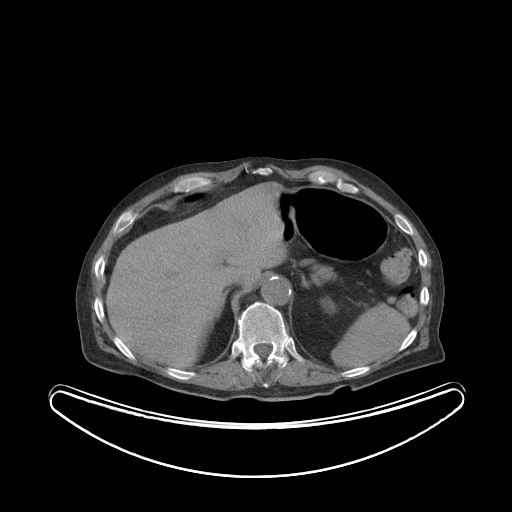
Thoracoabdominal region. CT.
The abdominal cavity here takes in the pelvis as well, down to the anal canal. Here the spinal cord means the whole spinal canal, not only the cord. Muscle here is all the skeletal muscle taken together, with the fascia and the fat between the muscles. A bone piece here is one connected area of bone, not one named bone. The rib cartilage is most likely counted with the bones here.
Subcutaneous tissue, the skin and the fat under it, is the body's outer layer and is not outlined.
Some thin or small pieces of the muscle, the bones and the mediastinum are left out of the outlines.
Outlined structures:
mediastinum: (270, 276) (280, 277) (285, 280) (290, 285) (291, 288) (291, 298) (287, 309) (287, 325) (286, 326) (285, 319) (282, 312) (267, 302) (261, 300) (255, 300) (242, 310) (241, 309) (242, 308) (240, 305) (240, 300) (242, 298) (242, 296) (257, 288) (266, 278) (269, 278)
abdominal cavity: (244, 171) (276, 173) (364, 195) (411, 238) (421, 276) (419, 313) (398, 347) (369, 365) (344, 370) (305, 357) (287, 329) (292, 288) (278, 275) (266, 277) (241, 296) (230, 350) (206, 367) (159, 365) (135, 355) (114, 334) (102, 300) (114, 242) (151, 204) (228, 183)
torso: (246, 156) (344, 160) (380, 177) (411, 207) (434, 240) (442, 261) (442, 362) (356, 390) (342, 387) (331, 394) (305, 399) (262, 401) (216, 400) (176, 392) (100, 368) (84, 358) (76, 319) (76, 283) (84, 255) (113, 207) (140, 183) (171, 167)
muscle 1: (116, 219) (112, 233) (121, 234) (113, 242) (107, 259) (101, 254) (93, 265) (94, 276) (97, 279) (104, 278) (104, 281) (101, 299) (95, 296) (92, 307) (99, 322) (102, 323) (106, 320) (114, 335) (112, 342) (127, 358) (134, 361) (137, 356) (163, 366) (165, 367) (164, 371) (170, 377) (185, 381) (197, 374) (194, 370) (211, 366) (225, 359) (229, 353) (232, 359) (240, 355) (240, 364) (247, 372) (251, 370) (253, 365) (258, 368) (266, 368) (273, 362) (284, 368) (290, 357) (302, 362) (303, 356) (327, 368) (341, 371) (340, 374) (348, 379) (306, 386) (277, 385) (269, 387) (269, 384) (264, 382) (263, 387) (222, 390) (180, 382) (139, 367) (102, 350) (95, 339) (91, 321) (89, 303) (90, 269) (94, 254)
muscle 2: (244, 162) (251, 162) (253, 164) (271, 163) (284, 169) (302, 169) (313, 165) (325, 165) (340, 169) (371, 188) (397, 207) (413, 223) (424, 240) (432, 261) (431, 278) (433, 284) (433, 303) (431, 318) (429, 322) (429, 344) (426, 348) (412, 352) (367, 375) (351, 378) (366, 373) (370, 370) (370, 365) (381, 360) (397, 348) (399, 352) (404, 350) (416, 338) (418, 330) (414, 327) (420, 313) (420, 305) (426, 306) (430, 299) (428, 287) (426, 285) (422, 286) (422, 276) (420, 269) (420, 267) (425, 268) (427, 266) (428, 257) (422, 248) (420, 247) (416, 249) (416, 246) (410, 236) (414, 234) (413, 227) (403, 214) (396, 212) (392, 217) (373, 199) (364, 194) (358, 193) (359, 188) (356, 185) (343, 180) (341, 177) (337, 176) (331, 171) (317, 169) (311, 171) (307, 175) (307, 179) (295, 180) (286, 178) (274, 172) (273, 169) (267, 165) (256, 165) (251, 169) (245, 168) (235, 178) (228, 182) (215, 185) (209, 177) (192, 175) (183, 177) (174, 183) (171, 188) (173, 192) (151, 203) (139, 215) (130, 209) (123, 211) (144, 195) (179, 175) (198, 171) (224, 171) (236, 167)
bones 1: (255, 301) (267, 303) (281, 312) (287, 332) (293, 338) (296, 349) (303, 358) (302, 361) (290, 356) (284, 367) (273, 361) (266, 367) (258, 367) (253, 364) (250, 370) (247, 371) (241, 364) (240, 354) (235, 358) (230, 356) (232, 343) (238, 335) (237, 320) (242, 311); inner edge: (258, 344) (270, 344) (271, 345) (271, 350) (270, 351) (270, 352) (268, 354) (268, 355) (266, 357) (265, 357) (264, 358) (262, 358) (257, 353) (256, 353) (255, 352) (255, 351) (254, 350) (254, 347) (256, 345) (257, 345)
bones 2: (317, 170) (325, 170) (333, 173) (337, 177) (341, 178) (343, 181) (348, 183) (351, 183) (356, 186) (358, 188) (358, 192) (357, 193) (349, 193) (348, 192) (341, 191) (339, 190) (333, 183) (316, 183) (315, 182) (310, 181) (308, 179) (308, 175) (311, 172) (316, 171)
bones 3: (192, 176) (199, 176) (200, 177) (209, 178) (212, 181) (212, 183) (210, 185) (205, 185) (204, 186) (202, 186) (195, 189) (192, 189) (189, 191) (180, 191) (179, 192) (174, 192) (172, 190) (172, 188) (174, 184) (175, 184) (178, 181) (183, 178) (191, 177)
bones 4: (128, 210) (130, 210) (136, 213) (137, 214) (137, 217) (135, 219) (133, 223) (129, 227) (125, 229) (121, 233) (113, 233) (113, 228) (115, 225) (115, 223) (118, 217) (120, 215) (120, 214)
bones 5: (396, 213) (400, 213) (402, 215) (403, 215) (408, 220) (413, 230) (413, 234) (412, 235) (409, 235) (407, 233) (402, 231) (396, 225) (394, 221) (394, 219) (393, 218) (393, 216) (394, 214)
bones 6: (167, 367) (171, 367) (172, 368) (175, 368) (176, 369) (179, 369) (180, 370) (184, 370) (185, 371) (194, 371) (196, 374) (194, 376) (193, 376) (188, 379) (183, 380) (182, 379) (179, 379) (178, 378) (175, 378) (172, 376) (170, 376) (165, 371) (165, 368) (166, 368)
bones 7: (114, 336) (117, 336) (121, 340) (121, 341) (122, 342) (123, 342) (123, 343) (124, 344) (125, 344) (125, 345) (132, 352) (132, 353) (135, 356) (135, 359) (134, 360) (132, 360) (128, 357) (127, 357) (124, 354) (123, 354) (118, 349) (118, 348) (113, 342) (113, 337)
bones 8: (368, 365) (370, 367) (369, 370) (362, 374) (360, 374) (359, 375) (357, 375) (356, 376) (354, 376) (350, 378) (344, 377) (341, 374) (341, 372) (342, 371) (348, 370) (349, 369) (352, 369) (353, 368) (356, 368) (357, 367) (360, 367) (361, 366) (367, 366)
bones 9: (101, 255) (103, 255) (104, 256) (104, 258) (106, 261) (105, 263) (105, 267) (104, 268) (104, 277) (102, 278) (100, 277) (99, 278) (97, 278) (95, 276) (95, 272) (94, 271) (94, 265) (95, 264) (95, 262) (96, 260) (99, 257) (99, 256)
bones 10: (95, 297) (98, 297) (99, 298) (100, 298) (100, 299) (102, 301) (102, 304) (103, 305) (103, 310) (104, 311) (104, 314) (105, 315) (105, 318) (102, 322) (99, 321) (99, 320) (96, 315) (95, 310) (93, 307) (93, 302) (94, 301) (94, 299) (95, 298)
bones 11: (413, 328) (415, 328) (417, 330) (417, 334) (416, 335) (415, 338) (413, 340) (413, 341) (407, 347) (406, 347) (404, 349) (403, 349) (402, 350) (399, 351) (398, 350) (398, 348) (400, 346) (400, 345) (401, 344) (402, 341) (405, 338) (405, 337) (410, 332) (410, 331)
bones 12: (256, 166) (267, 166) (268, 167) (269, 167) (271, 169) (272, 169) (273, 172) (272, 173) (271, 173) (269, 175) (260, 175) (259, 174) (254, 174) (253, 173) (250, 173) (249, 172) (248, 173) (245, 171) (245, 169) (248, 169) (249, 170) (251, 170) (252, 169) (253, 169)
spinal cord: (258, 344) (270, 344) (271, 345) (271, 350) (270, 351) (270, 352) (268, 354) (268, 355) (266, 357) (265, 357) (264, 358) (262, 358) (257, 353) (256, 353) (255, 352) (255, 351) (254, 350) (254, 347) (256, 345) (257, 345)